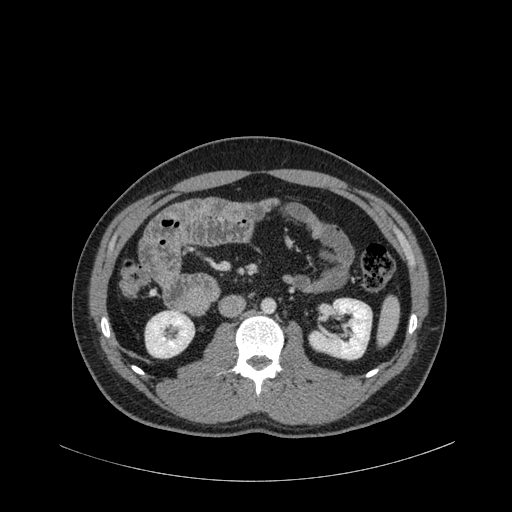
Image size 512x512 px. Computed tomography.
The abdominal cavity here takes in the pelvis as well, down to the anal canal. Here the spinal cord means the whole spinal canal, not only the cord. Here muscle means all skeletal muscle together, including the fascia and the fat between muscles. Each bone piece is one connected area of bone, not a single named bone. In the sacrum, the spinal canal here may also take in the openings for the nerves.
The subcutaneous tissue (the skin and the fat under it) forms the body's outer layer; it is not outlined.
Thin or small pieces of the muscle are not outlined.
{"bones":[{"outer":[[257,396],[260,393],[262,382],[266,378],[273,378],[282,370],[279,356],[284,344],[284,334],[280,326],[272,318],[262,315],[249,316],[241,322],[235,332],[235,344],[238,350],[237,361],[228,370],[216,373],[219,375],[233,372],[250,378],[254,382]],"hole":[[256,369],[261,369],[262,368],[263,368],[265,366],[266,366],[268,364],[269,364],[269,363],[270,362],[270,361],[266,357],[265,357],[264,356],[253,356],[250,359],[249,359],[248,360],[248,363],[250,365],[251,365],[254,368],[255,368]]},[[410,267],[413,267],[415,265],[415,259],[414,258],[414,256],[413,255],[412,250],[410,247],[410,245],[407,241],[403,233],[395,225],[393,225],[393,231],[395,233],[400,243],[400,245],[406,256],[406,258],[407,259],[407,263]],[[107,338],[108,338],[110,335],[110,328],[111,327],[110,326],[110,323],[109,322],[109,319],[108,318],[108,317],[106,315],[104,315],[101,317],[101,322],[100,323],[100,325],[101,326],[101,331],[102,332],[103,335],[105,337],[106,337]],[[409,334],[411,334],[415,330],[415,329],[417,326],[417,317],[416,316],[416,315],[415,314],[415,313],[414,313],[413,312],[412,312],[411,313],[410,313],[410,315],[409,316],[409,319],[408,320],[408,327],[407,328],[407,331]],[[108,253],[110,253],[112,251],[112,250],[113,249],[113,248],[114,247],[114,245],[115,244],[115,242],[116,241],[116,239],[117,238],[117,232],[115,232],[112,235],[112,236],[111,237],[111,238],[110,239],[110,240],[109,241],[109,243],[108,244]],[[142,376],[144,376],[145,375],[145,372],[140,367],[139,367],[137,365],[136,365],[135,364],[131,364],[131,368],[136,373],[137,373],[138,374],[139,374],[140,375],[141,375]],[[365,377],[370,377],[371,376],[372,376],[373,375],[374,375],[378,371],[378,370],[379,369],[379,367],[378,367],[377,366],[376,367],[375,367],[374,368],[373,368],[372,369],[371,369],[370,370],[369,370],[367,372],[366,372],[364,375],[364,376]]],"abdominal_cavity":[[[158,377],[173,377],[179,365],[201,358],[220,323],[236,328],[254,314],[272,317],[282,328],[295,320],[312,362],[364,373],[389,359],[403,341],[410,308],[405,263],[360,207],[327,189],[253,174],[183,193],[138,227],[108,284],[108,314],[123,355]]],"spinal_cord":[[[256,369],[261,369],[262,368],[263,368],[265,366],[266,366],[268,364],[269,364],[269,363],[270,362],[270,361],[266,357],[265,357],[264,356],[253,356],[250,359],[249,359],[248,360],[248,363],[250,365],[251,365],[254,368],[255,368]]],"muscle":[{"outer":[[290,425],[319,425],[347,415],[400,373],[412,358],[418,343],[422,322],[428,313],[429,279],[422,252],[406,221],[391,205],[381,198],[367,191],[352,187],[334,176],[312,170],[289,168],[270,170],[231,169],[206,172],[189,177],[168,188],[151,193],[124,208],[111,221],[101,239],[90,277],[88,297],[90,317],[94,320],[100,346],[112,368],[154,403],[190,421],[215,424],[236,420],[252,413],[265,413],[275,421]],"holes":[[[257,396],[282,370],[282,327],[292,319],[312,362],[365,377],[417,326],[405,263],[373,220],[327,189],[267,174],[183,193],[150,214],[116,259],[100,323],[136,373],[158,377],[201,358],[219,324],[234,323],[237,361],[216,375],[250,378]],[[410,267],[413,267],[415,265],[415,259],[414,258],[414,256],[413,255],[412,250],[410,247],[410,245],[407,241],[403,233],[395,225],[393,225],[393,231],[395,233],[400,243],[400,245],[406,256],[406,258],[407,259],[407,263]],[[108,253],[110,253],[112,251],[112,250],[113,249],[113,248],[114,247],[114,245],[115,244],[115,242],[116,241],[116,239],[117,238],[117,232],[115,232],[112,235],[112,236],[111,237],[111,238],[110,239],[110,240],[109,241],[109,243],[108,244]]]}],"torso":[[[287,438],[362,428],[398,414],[413,401],[443,336],[447,310],[444,274],[434,244],[415,214],[387,186],[354,163],[316,145],[284,137],[216,139],[156,165],[101,215],[76,265],[71,293],[73,332],[98,389],[115,408],[140,423],[197,436],[261,432]]]}